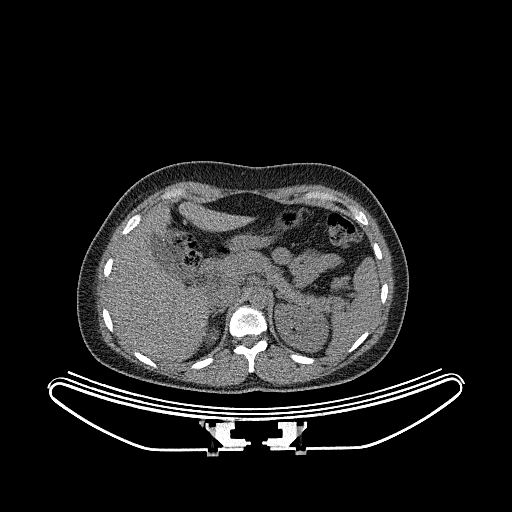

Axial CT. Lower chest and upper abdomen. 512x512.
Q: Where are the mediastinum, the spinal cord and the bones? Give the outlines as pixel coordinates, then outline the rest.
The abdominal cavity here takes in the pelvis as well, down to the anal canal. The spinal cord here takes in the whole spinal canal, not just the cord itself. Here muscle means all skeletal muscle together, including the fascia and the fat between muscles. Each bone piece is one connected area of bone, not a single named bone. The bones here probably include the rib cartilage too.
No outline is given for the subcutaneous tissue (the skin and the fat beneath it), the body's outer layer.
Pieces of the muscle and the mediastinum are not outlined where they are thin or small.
A: {"mediastinum":[[[255,289],[262,289],[267,294],[267,306],[266,307],[266,309],[268,311],[268,323],[266,320],[266,317],[264,315],[263,312],[261,310],[260,310],[255,307],[253,307],[248,304],[244,304],[244,303],[250,297],[250,296],[251,295],[252,292]]],"spinal_cord":[[[245,335],[255,335],[257,337],[257,340],[256,341],[256,342],[253,345],[252,345],[250,347],[248,347],[247,346],[246,346],[245,345],[244,345],[243,344],[242,344],[240,342],[240,341],[241,340],[241,338],[243,336],[244,336]]],"bones":[{"outer":[[242,305],[248,305],[261,311],[267,323],[267,330],[263,334],[267,342],[267,346],[264,350],[256,354],[253,363],[254,371],[252,373],[248,371],[248,361],[245,356],[243,354],[235,353],[233,351],[235,345],[234,338],[229,333],[230,318],[233,312]],"hole":[[245,335],[255,335],[257,337],[257,340],[256,341],[256,342],[253,345],[252,345],[250,347],[248,347],[247,346],[246,346],[245,345],[244,345],[243,344],[242,344],[240,342],[240,341],[241,340],[241,338],[243,336],[244,336]]},[[315,190],[332,192],[348,204],[355,206],[364,213],[367,218],[368,224],[364,225],[358,222],[354,218],[350,210],[345,205],[339,202],[328,201],[327,200],[322,201],[317,199],[311,199],[308,201],[304,201],[302,198],[302,195],[306,192]],[[174,188],[184,188],[186,190],[186,195],[185,196],[179,196],[178,197],[174,197],[173,198],[171,198],[170,199],[162,199],[161,198],[160,198],[160,197],[161,196],[161,195],[165,191],[166,191],[167,190],[170,190],[171,189],[173,189]],[[138,213],[141,215],[141,219],[140,220],[139,223],[133,229],[132,229],[128,233],[127,233],[126,234],[122,234],[121,233],[121,232],[122,231],[123,228],[127,223],[128,220],[132,216],[133,216],[135,214],[137,214]],[[291,353],[297,353],[298,354],[300,354],[301,355],[303,355],[304,356],[307,356],[308,357],[312,357],[313,358],[314,358],[314,361],[312,363],[310,363],[309,364],[304,364],[303,363],[298,363],[297,362],[294,361],[290,357],[290,354]],[[104,307],[105,307],[109,311],[109,314],[110,315],[110,317],[111,318],[111,320],[113,324],[113,327],[114,328],[114,330],[113,332],[111,332],[108,329],[108,328],[106,326],[104,322],[104,320],[103,319],[103,316],[102,315],[102,309]],[[209,356],[212,356],[212,357],[213,358],[213,361],[211,363],[210,363],[209,364],[208,364],[201,368],[199,368],[198,369],[194,369],[193,368],[191,368],[190,367],[190,366],[194,362],[195,362],[198,360],[202,360]],[[134,350],[135,350],[136,351],[137,351],[138,352],[143,354],[145,356],[146,356],[148,358],[149,358],[151,360],[152,360],[157,365],[157,366],[156,367],[153,367],[146,363],[144,363],[143,362],[142,362],[139,359],[138,359],[133,354],[133,351]],[[366,330],[367,330],[368,331],[368,335],[367,336],[367,337],[355,349],[354,349],[351,352],[347,352],[347,350],[352,345],[352,344]],[[110,257],[111,257],[112,258],[113,258],[113,263],[112,264],[112,267],[111,268],[111,271],[110,272],[110,273],[109,274],[109,275],[108,276],[108,277],[105,277],[103,274],[103,270],[104,269],[104,265],[105,264],[105,263],[107,261],[107,260]],[[385,282],[387,284],[387,296],[386,297],[386,299],[385,300],[385,302],[384,303],[381,303],[381,302],[380,301],[380,292],[381,291],[381,285],[383,283],[384,283]],[[374,242],[375,242],[376,243],[377,243],[377,244],[379,246],[379,247],[380,248],[380,250],[381,251],[381,253],[382,254],[382,258],[381,259],[377,259],[376,258],[376,256],[374,253],[374,251],[373,250],[373,248],[372,247],[372,244]]],"torso":[[[194,160],[246,166],[325,163],[355,175],[373,192],[398,235],[409,275],[401,328],[392,347],[377,365],[352,380],[327,387],[222,394],[178,389],[135,379],[108,368],[90,353],[78,325],[76,290],[80,267],[92,239],[112,207],[136,181],[161,167]]],"muscle":[[[180,181],[232,189],[320,184],[342,191],[360,203],[375,219],[392,258],[393,296],[387,324],[378,341],[350,363],[304,382],[273,384],[254,374],[255,358],[268,346],[264,336],[267,331],[298,364],[309,365],[318,357],[355,350],[368,337],[368,328],[378,305],[384,304],[388,296],[388,284],[380,281],[378,260],[383,258],[381,248],[375,241],[371,244],[362,227],[369,224],[365,213],[332,191],[309,190],[301,195],[303,201],[288,203],[248,192],[200,201],[180,197],[185,197],[187,190],[174,187],[165,190],[159,197],[162,200],[143,215],[138,212],[132,215],[122,228],[120,233],[127,235],[115,257],[110,256],[103,265],[102,274],[108,278],[108,308],[101,309],[103,322],[111,333],[115,329],[138,360],[153,368],[158,366],[155,362],[193,362],[189,366],[191,369],[201,369],[214,361],[212,355],[202,358],[217,348],[228,333],[233,338],[232,351],[244,356],[249,375],[240,383],[226,386],[183,381],[143,368],[107,345],[99,331],[95,295],[97,268],[103,252],[114,230],[131,210],[157,190]]],"abdominal_cavity":[[[245,193],[287,204],[334,202],[351,213],[369,240],[381,284],[367,329],[347,349],[332,354],[313,357],[289,352],[269,331],[268,294],[255,288],[232,312],[221,343],[201,359],[162,363],[130,347],[108,309],[109,276],[127,234],[163,200],[212,202]]]}